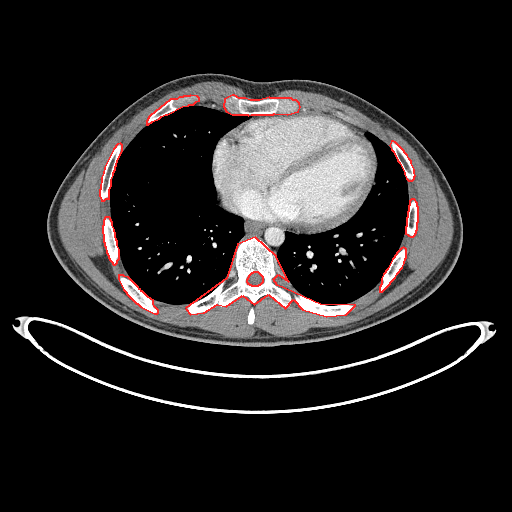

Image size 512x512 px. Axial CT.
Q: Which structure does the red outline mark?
A: red: bones.
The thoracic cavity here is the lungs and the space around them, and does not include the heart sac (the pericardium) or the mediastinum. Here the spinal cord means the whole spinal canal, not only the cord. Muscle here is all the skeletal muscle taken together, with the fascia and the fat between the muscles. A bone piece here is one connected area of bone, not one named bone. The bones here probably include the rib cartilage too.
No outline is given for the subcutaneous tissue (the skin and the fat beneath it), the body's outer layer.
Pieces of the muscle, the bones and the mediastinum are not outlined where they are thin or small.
Outlined structures:
bones 1: (326, 316) (346, 314) (355, 305) (320, 304) (277, 285) (273, 279) (278, 274) (288, 281) (276, 256) (255, 237) (237, 244) (226, 278) (185, 308) (190, 314) (204, 312) (217, 304) (226, 306) (242, 295) (254, 304) (268, 294) (285, 308) (293, 299) (302, 309), around a hole outlined by (251, 285) (258, 285) (259, 284) (260, 284) (263, 281) (263, 277) (258, 272) (253, 272) (252, 273) (251, 273) (248, 276) (248, 277) (247, 278) (247, 279) (246, 280) (246, 281) (247, 282) (247, 283) (248, 283) (249, 284) (250, 284)
bones 2: (248, 115) (251, 114) (273, 114) (274, 113) (287, 114) (298, 111) (300, 107) (299, 103) (296, 100) (293, 100) (291, 98) (270, 98) (269, 97) (259, 100) (250, 100) (245, 98) (239, 98) (234, 95) (232, 95) (224, 99) (223, 106) (226, 111) (232, 114) (247, 114)
bones 3: (101, 200) (104, 200) (106, 198) (109, 198) (109, 190) (111, 185) (111, 179) (113, 175) (113, 172) (115, 169) (115, 166) (116, 165) (117, 160) (122, 151) (122, 145) (120, 143) (117, 144) (113, 149) (104, 167) (103, 173) (101, 177) (100, 189) (99, 190) (99, 195)
bones 4: (154, 313) (157, 313) (158, 312) (158, 310) (154, 306) (153, 304) (153, 300) (148, 297) (142, 291) (141, 291) (140, 289) (139, 289) (138, 287) (128, 277) (124, 276) (123, 275) (118, 275) (118, 279) (123, 289) (126, 292) (126, 293) (136, 303) (137, 303) (140, 306)
bones 5: (113, 264) (115, 264) (117, 262) (117, 260) (119, 258) (119, 249) (117, 245) (117, 241) (116, 240) (114, 229) (112, 225) (112, 222) (109, 217) (105, 217) (103, 220) (103, 225) (102, 226) (103, 241) (104, 242) (104, 245) (105, 246) (106, 252) (108, 255) (108, 257)
bones 6: (146, 124) (148, 124) (152, 121) (159, 118) (161, 116) (165, 114) (167, 114) (182, 106) (188, 105) (189, 104) (193, 104) (196, 101) (199, 100) (199, 98) (197, 96) (190, 95) (189, 96) (183, 96) (182, 97) (179, 97) (176, 99) (170, 99) (149, 116) (146, 121)
bones 7: (379, 291) (382, 291) (390, 283) (390, 282) (395, 277) (397, 273) (402, 267) (404, 263) (405, 258) (406, 257) (406, 249) (405, 248) (403, 247) (401, 248) (396, 253) (396, 254) (392, 259) (387, 269) (385, 271) (385, 272) (383, 274) (381, 278) (381, 284) (379, 287)
bones 8: (408, 180) (412, 180) (414, 178) (414, 176) (415, 175) (414, 173) (414, 169) (411, 163) (411, 161) (409, 159) (407, 155) (404, 152) (404, 151) (395, 142) (393, 141) (391, 141) (389, 145) (391, 149) (393, 151) (397, 160) (399, 162) (404, 172) (404, 174) (406, 178)
bones 9: (410, 236) (413, 236) (415, 234) (415, 233) (416, 232) (416, 230) (417, 229) (417, 222) (418, 221) (418, 207) (417, 206) (417, 203) (414, 199) (411, 199) (409, 201) (409, 205) (408, 206) (408, 211) (407, 212) (407, 217) (406, 218) (406, 226) (405, 227) (405, 233)
muscle 1: (237, 338) (253, 337) (258, 329) (287, 337) (347, 325) (407, 294) (443, 260) (453, 233) (447, 199) (433, 171) (399, 134) (358, 110) (319, 93) (284, 90) (270, 97) (296, 99) (301, 112) (325, 111) (336, 115) (340, 111) (348, 121) (388, 145) (391, 140) (395, 141) (415, 169) (415, 178) (407, 180) (407, 186) (409, 200) (414, 198) (418, 203) (419, 221) (413, 237) (403, 236) (400, 248) (407, 249) (403, 267) (382, 292) (378, 291) (378, 283) (352, 302) (356, 305) (353, 311) (339, 317) (306, 312) (293, 300) (285, 309) (268, 295) (254, 305) (242, 296) (226, 307) (217, 305) (194, 315) (184, 311) (186, 305) (154, 304) (159, 310) (154, 314) (136, 304) (122, 289) (117, 275) (128, 276) (120, 258) (113, 265) (107, 257) (101, 226) (103, 218) (110, 217) (110, 201) (101, 201) (98, 190) (103, 167) (115, 145) (120, 142) (123, 150) (146, 125) (148, 116) (170, 98) (193, 94) (200, 98) (194, 104) (225, 110) (223, 99) (232, 94) (253, 99) (240, 88) (207, 81) (168, 93) (121, 126) (75, 178) (60, 204) (58, 231) (71, 259) (95, 285) (115, 300) (161, 322); inner edge: (249, 324) (252, 324) (253, 323) (253, 322) (254, 321) (254, 319) (255, 318) (255, 315) (254, 314) (254, 311) (253, 310) (253, 307) (251, 307) (251, 308) (250, 309) (250, 310) (249, 311) (249, 312) (248, 313) (248, 315) (247, 316) (247, 321) (248, 322) (248, 323)
muscle 2: (292, 294) (294, 294) (296, 291) (291, 286) (291, 285) (289, 283) (287, 283) (286, 282) (286, 281) (284, 279) (281, 278) (280, 277) (280, 276) (279, 276) (278, 275) (274, 279) (275, 282) (280, 286) (283, 286) (285, 288) (286, 288)
mediastinum 1: (276, 255) (276, 253) (279, 247) (283, 243) (285, 239) (285, 234) (288, 231) (295, 233) (305, 233) (297, 233) (277, 224) (263, 224) (239, 216) (243, 219) (244, 222) (243, 223) (244, 235) (242, 238) (246, 238) (250, 236) (258, 237) (262, 239) (270, 247) (272, 251)
mediastinum 2: (229, 212) (231, 212) (230, 212) (229, 211) (228, 211) (222, 205) (222, 204) (221, 203) (221, 200) (220, 199) (220, 198) (219, 197) (219, 195) (217, 193) (217, 191) (217, 197) (216, 198) (216, 202) (220, 206) (221, 206) (225, 210) (226, 210) (227, 211) (228, 211)
spinal cord: (251, 285) (258, 285) (259, 284) (260, 284) (263, 281) (263, 277) (258, 272) (253, 272) (252, 273) (251, 273) (248, 276) (248, 277) (247, 278) (247, 279) (246, 280) (246, 281) (247, 282) (247, 283) (248, 283) (249, 284) (250, 284)
thoracic cavity 1: (156, 305) (187, 304) (205, 296) (225, 278) (231, 266) (234, 248) (243, 235) (243, 222) (240, 217) (225, 211) (215, 202) (216, 190) (211, 166) (219, 138) (248, 119) (247, 115) (232, 115) (200, 105) (182, 107) (145, 126) (118, 160) (110, 200) (120, 257) (129, 277)
thoracic cavity 2: (325, 304) (351, 302) (379, 282) (391, 259) (399, 249) (404, 233) (408, 205) (406, 179) (389, 146) (369, 132) (366, 136) (374, 147) (378, 167) (375, 184) (360, 209) (349, 220) (327, 231) (314, 234) (288, 232) (284, 243) (277, 253) (277, 261) (292, 286) (307, 297)
pericardium: (306, 233) (327, 230) (343, 223) (359, 209) (369, 193) (374, 182) (377, 161) (373, 147) (363, 133) (353, 124) (337, 116) (312, 112) (252, 118) (224, 134) (215, 148) (212, 166) (215, 185) (223, 205) (228, 210) (244, 217) (263, 223) (277, 223) (294, 231)
torso: (237, 346) (307, 343) (368, 328) (426, 298) (445, 280) (458, 258) (462, 220) (440, 167) (407, 128) (347, 90) (314, 80) (260, 82) (220, 73) (191, 74) (170, 80) (114, 117) (79, 156) (54, 195) (47, 216) (50, 245) (70, 277) (92, 297) (118, 315) (151, 330)